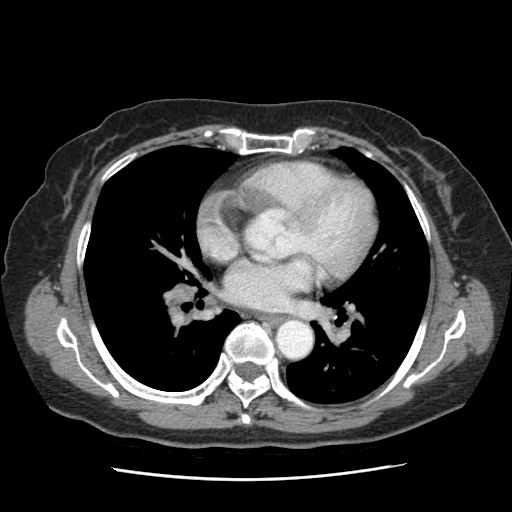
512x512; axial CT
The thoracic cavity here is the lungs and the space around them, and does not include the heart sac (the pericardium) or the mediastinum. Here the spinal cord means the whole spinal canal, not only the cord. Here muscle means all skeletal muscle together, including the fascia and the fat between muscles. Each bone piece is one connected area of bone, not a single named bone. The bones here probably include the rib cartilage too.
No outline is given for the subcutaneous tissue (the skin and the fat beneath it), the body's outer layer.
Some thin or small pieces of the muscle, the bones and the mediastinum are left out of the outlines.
{"spinal_cord":[[[245,362],[252,362],[254,364],[255,364],[256,365],[259,366],[259,367],[261,369],[261,373],[252,381],[247,381],[246,380],[244,380],[240,376],[239,376],[237,374],[237,373],[236,372],[236,366],[239,364],[241,364],[242,363],[244,363]]],"muscle":[{"outer":[[217,123],[237,126],[206,129],[202,137],[214,144],[173,144],[139,157],[139,152],[133,150],[113,162],[100,177],[99,182],[103,185],[92,217],[84,221],[79,231],[76,265],[79,270],[83,268],[91,312],[87,320],[90,336],[106,368],[125,390],[146,400],[198,406],[225,382],[244,409],[252,400],[271,391],[279,399],[303,410],[323,411],[322,407],[306,401],[319,404],[350,402],[367,395],[389,378],[362,404],[364,407],[384,396],[406,375],[421,349],[428,327],[428,314],[423,314],[430,283],[428,244],[431,233],[424,209],[407,182],[403,179],[401,184],[370,150],[345,145],[319,145],[317,128],[297,127],[302,125],[324,126],[365,139],[407,173],[433,219],[455,270],[454,277],[473,276],[488,290],[494,307],[494,333],[488,348],[420,387],[411,400],[385,410],[373,421],[355,428],[319,433],[239,425],[205,429],[157,427],[142,421],[134,411],[112,406],[56,376],[26,342],[24,305],[38,281],[46,275],[50,275],[51,279],[59,275],[71,229],[92,180],[111,159],[135,144],[174,131]],"holes":[[[62,317],[66,319],[69,329],[76,338],[77,348],[80,360],[82,363],[97,379],[104,383],[110,382],[117,390],[119,394],[118,397],[114,397],[107,390],[94,382],[79,366],[74,350],[71,347],[65,347],[60,343],[56,334],[56,329]],[[460,309],[463,311],[465,318],[465,329],[461,336],[457,338],[450,339],[446,344],[445,352],[441,360],[424,375],[417,379],[408,387],[404,387],[403,386],[403,383],[410,374],[420,372],[439,355],[443,347],[445,331],[450,327],[457,315],[458,310]],[[244,411],[245,411],[248,414],[248,415],[250,417],[250,422],[248,424],[247,424],[246,423],[243,423],[240,420],[240,417],[241,416],[241,413],[242,412],[243,412]]]}],"bones":[{"outer":[[90,316],[109,353],[126,373],[149,387],[171,392],[189,390],[203,382],[216,366],[233,328],[253,321],[272,341],[287,387],[323,410],[303,409],[271,390],[255,397],[244,408],[225,381],[198,405],[165,403],[135,395],[119,383],[101,358],[91,336]],"hole":[[245,362],[252,362],[254,364],[255,364],[256,365],[259,366],[259,367],[261,369],[261,373],[252,381],[247,381],[246,380],[244,380],[240,376],[239,376],[237,374],[237,373],[236,372],[236,366],[239,364],[241,364],[242,363],[244,363]]},[[224,127],[237,127],[247,132],[270,135],[290,135],[297,128],[311,127],[316,128],[317,130],[317,143],[311,145],[309,148],[306,148],[299,153],[293,154],[268,151],[240,154],[222,143],[211,142],[203,137],[203,133],[206,130],[215,131],[219,128]],[[425,314],[427,314],[427,327],[422,344],[413,363],[408,369],[405,375],[389,391],[377,400],[364,406],[363,404],[366,401],[377,394],[386,385],[392,375],[400,365],[411,346],[411,344],[414,339],[415,334],[417,331],[421,319],[423,315]],[[62,317],[66,319],[69,329],[76,338],[77,348],[80,360],[82,363],[97,379],[104,383],[110,382],[117,390],[119,394],[118,397],[114,397],[107,390],[94,382],[79,366],[74,350],[71,347],[65,347],[60,343],[56,334],[56,329]],[[460,309],[463,311],[465,318],[465,329],[461,336],[457,338],[450,339],[446,344],[445,352],[441,360],[424,375],[417,379],[408,387],[404,387],[403,386],[403,383],[410,374],[420,372],[439,355],[443,347],[445,331],[450,327],[457,315],[458,310]],[[403,180],[406,182],[411,190],[414,193],[423,209],[423,211],[425,214],[429,226],[429,232],[430,233],[430,242],[429,243],[427,243],[426,238],[420,226],[420,224],[415,214],[415,212],[410,202],[410,200],[402,185],[402,181]],[[89,219],[91,220],[90,233],[89,234],[89,238],[88,239],[88,242],[87,243],[87,246],[85,251],[85,257],[83,261],[83,267],[81,269],[79,269],[77,265],[77,243],[78,242],[78,238],[79,237],[80,231],[82,228],[82,226],[85,221]],[[133,151],[137,151],[138,152],[138,155],[137,157],[133,160],[132,160],[129,163],[125,165],[113,175],[112,175],[103,184],[101,184],[100,182],[101,180],[101,177],[106,171],[106,170],[117,160],[118,160],[120,158],[123,157],[125,155]]],"pericardium":[[[274,154],[320,156],[339,160],[360,178],[370,190],[375,201],[378,217],[378,228],[373,243],[350,277],[301,308],[286,313],[242,309],[234,307],[225,300],[215,286],[207,264],[202,259],[196,233],[198,209],[204,194],[210,186],[236,164],[261,155]]],"thoracic_cavity":[[[182,144],[207,146],[234,155],[232,163],[203,194],[197,209],[195,233],[201,259],[212,277],[215,291],[240,320],[225,337],[209,375],[189,389],[171,391],[137,380],[110,353],[90,308],[84,261],[94,210],[104,184],[135,159],[164,147]],[[340,146],[356,148],[383,166],[402,186],[427,244],[429,283],[413,339],[391,376],[359,398],[319,403],[304,400],[288,387],[286,368],[312,353],[316,334],[308,316],[314,303],[343,284],[358,269],[379,228],[378,210],[371,190],[344,159],[332,152]]],"mediastinum":[[[315,300],[307,316],[307,320],[315,334],[314,347],[307,357],[300,361],[292,362],[285,368],[284,380],[274,343],[268,334],[253,320],[240,322],[241,318],[239,314],[231,310],[225,302],[234,308],[242,310],[286,314],[295,312]],[[316,144],[319,146],[320,145],[323,145],[330,147],[339,146],[331,152],[334,155],[344,160],[351,170],[350,170],[342,161],[333,157],[326,157],[320,155],[302,155],[301,154],[294,154],[299,154],[303,152],[306,149],[309,149],[311,146]],[[215,144],[222,144],[226,146],[230,150],[240,155],[249,155],[250,154],[265,153],[266,152],[269,153],[283,153],[261,154],[257,156],[251,157],[236,163],[227,172],[224,173],[227,170],[228,167],[235,160],[235,155],[232,152],[206,145],[214,145]]],"torso":[[[176,97],[367,103],[404,117],[458,157],[486,192],[511,239],[511,273],[499,335],[481,377],[459,409],[380,440],[301,449],[174,447],[114,436],[49,407],[20,356],[4,303],[3,255],[12,220],[43,181],[47,160],[58,147],[113,111]]]}